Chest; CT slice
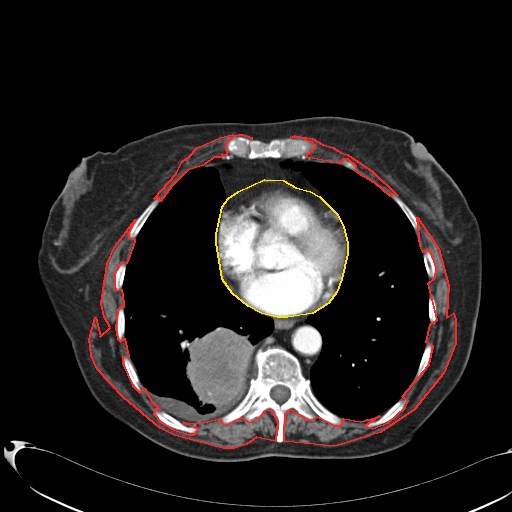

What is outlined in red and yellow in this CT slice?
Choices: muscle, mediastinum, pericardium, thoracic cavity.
red: muscle; yellow: pericardium.
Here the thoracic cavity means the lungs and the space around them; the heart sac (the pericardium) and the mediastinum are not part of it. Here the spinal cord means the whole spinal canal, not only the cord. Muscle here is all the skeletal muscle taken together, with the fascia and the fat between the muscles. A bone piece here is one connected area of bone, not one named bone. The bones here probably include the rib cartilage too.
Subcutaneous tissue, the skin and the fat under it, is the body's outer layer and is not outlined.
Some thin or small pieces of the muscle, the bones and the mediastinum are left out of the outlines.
{"muscle":[[[135,219],[128,232],[128,237],[134,239],[134,241],[127,261],[126,263],[121,262],[114,273],[114,287],[116,290],[121,289],[123,303],[123,307],[121,306],[117,310],[115,328],[117,338],[120,341],[124,338],[128,356],[122,357],[122,363],[132,385],[139,392],[144,388],[151,401],[159,409],[155,409],[153,413],[161,422],[173,429],[189,434],[194,434],[198,429],[183,422],[199,423],[219,418],[222,423],[227,424],[241,417],[249,422],[260,416],[265,410],[270,409],[277,420],[275,441],[256,437],[246,444],[234,448],[223,448],[174,435],[160,428],[123,397],[97,369],[91,355],[89,339],[95,317],[100,336],[110,327],[104,317],[101,303],[107,263],[114,247]],[[417,217],[438,248],[448,285],[446,317],[453,313],[455,319],[455,343],[443,373],[414,409],[380,432],[334,446],[284,441],[285,413],[290,409],[309,420],[317,416],[334,425],[341,425],[343,418],[360,421],[379,416],[365,425],[372,428],[388,422],[405,407],[408,401],[402,396],[429,364],[433,346],[426,342],[430,324],[437,319],[428,283],[435,277],[436,267],[431,253],[427,249],[423,252],[420,246]],[[232,134],[246,135],[252,138],[243,135],[238,135],[231,138],[225,144],[225,149],[227,152],[225,155],[222,154],[220,157],[214,157],[202,165],[187,170],[171,186],[160,201],[159,198],[154,198],[176,173],[182,161],[189,156],[197,147],[220,137]],[[294,135],[312,138],[322,144],[333,147],[340,152],[347,154],[372,171],[397,195],[392,194],[390,196],[375,183],[358,173],[356,171],[356,166],[348,159],[343,159],[340,163],[337,163],[307,157],[307,154],[315,147],[315,145],[303,138],[290,137]]],"pericardium":[[[264,179],[283,180],[295,187],[310,191],[319,196],[337,214],[343,227],[347,242],[347,253],[341,279],[336,292],[328,303],[312,313],[287,317],[277,317],[261,313],[248,306],[232,293],[222,279],[216,242],[216,234],[222,206],[228,198],[238,191]]],"torso":[[[325,115],[407,132],[425,146],[464,194],[480,228],[482,282],[473,344],[463,374],[410,442],[376,455],[346,459],[267,456],[220,462],[170,451],[113,417],[86,385],[38,273],[37,254],[49,209],[70,171],[96,151],[114,151],[183,124],[272,122]]],"mediastinum":[[[227,154],[247,159],[306,157],[320,160],[321,162],[304,163],[286,159],[281,161],[279,165],[282,168],[304,173],[318,189],[321,197],[283,179],[264,178],[238,190],[228,197],[224,203],[225,193],[219,172],[213,166],[203,165],[214,158],[220,158]],[[307,315],[309,315],[306,321],[319,332],[322,340],[320,353],[309,370],[309,378],[303,375],[303,370],[298,358],[287,349],[281,346],[267,346],[264,348],[259,347],[256,350],[256,344],[268,336],[273,330],[273,320],[272,319],[271,318],[270,317],[269,316],[267,316],[270,316],[271,317],[276,317],[277,318],[287,318]]],"spinal_cord":[[[277,385],[281,385],[282,386],[285,386],[287,388],[288,388],[289,390],[289,392],[290,393],[289,394],[289,396],[288,398],[282,403],[278,403],[275,400],[274,400],[271,397],[270,395],[270,391],[271,389],[273,387]]],"bones":[{"outer":[[267,347],[281,347],[297,358],[314,396],[342,418],[341,424],[331,423],[317,415],[309,419],[290,408],[284,413],[284,439],[278,442],[275,440],[278,420],[270,408],[249,421],[243,416],[227,423],[220,420],[246,395],[249,381],[256,375],[256,351]],"hole":[[277,385],[281,385],[282,386],[285,386],[287,388],[288,388],[289,390],[289,392],[290,393],[289,394],[289,396],[288,398],[282,403],[278,403],[275,400],[274,400],[271,397],[270,395],[270,391],[271,389],[273,387]]},[[238,136],[243,136],[249,139],[258,139],[265,142],[267,142],[272,139],[283,139],[288,137],[294,139],[303,139],[314,145],[314,147],[306,154],[306,156],[258,157],[257,158],[240,157],[228,153],[226,149],[226,144],[227,142],[231,139]],[[155,410],[161,410],[165,412],[167,414],[172,416],[174,418],[179,420],[185,425],[187,426],[191,426],[197,429],[194,433],[189,433],[188,432],[186,432],[182,430],[179,430],[178,429],[173,428],[161,421],[155,415],[154,413],[154,411]],[[400,399],[406,399],[407,401],[402,410],[398,414],[397,414],[394,417],[393,417],[388,421],[384,423],[382,423],[379,425],[377,425],[376,426],[373,426],[372,427],[367,427],[366,426],[366,425],[368,423],[376,420],[382,414],[383,414]],[[157,198],[159,199],[159,202],[148,216],[148,217],[142,225],[141,228],[139,230],[135,238],[130,238],[129,237],[129,232],[133,224],[135,222],[136,219],[140,215],[140,214],[142,213],[142,212],[146,208],[146,207],[154,199],[156,199]],[[125,356],[128,357],[130,359],[135,369],[135,371],[138,376],[138,378],[140,381],[140,383],[142,385],[141,391],[139,391],[136,389],[136,388],[133,385],[132,382],[130,380],[126,372],[126,370],[124,367],[124,364],[123,363],[123,357]],[[428,343],[430,343],[432,346],[432,350],[431,351],[431,354],[430,355],[430,358],[429,359],[428,364],[426,367],[426,369],[419,379],[416,381],[414,381],[414,378],[416,375],[416,373],[417,372],[417,370],[418,369],[424,349],[426,346],[426,344]],[[392,195],[395,195],[397,196],[400,199],[401,199],[404,202],[404,203],[411,210],[411,211],[416,217],[419,223],[419,228],[418,229],[416,230],[414,229],[412,224],[410,222],[409,219],[407,217],[405,213],[398,205],[398,204],[391,197]],[[427,250],[430,253],[432,257],[432,259],[434,263],[434,266],[435,267],[435,275],[433,278],[430,278],[428,277],[428,275],[426,271],[426,268],[425,267],[425,264],[424,263],[424,259],[423,258],[423,253]],[[121,307],[122,307],[123,308],[123,312],[124,313],[124,335],[123,336],[123,338],[121,340],[120,340],[118,338],[118,335],[117,334],[117,329],[116,328],[116,325],[117,324],[117,317],[118,316],[118,310],[119,309],[119,308],[120,308]],[[123,262],[126,264],[126,266],[125,267],[125,273],[124,274],[124,277],[123,278],[123,282],[122,283],[122,287],[120,289],[116,289],[116,288],[115,287],[115,273],[116,272],[116,270],[117,269],[117,268],[119,266],[119,265],[121,263],[122,263]],[[429,296],[433,296],[433,297],[434,298],[434,300],[435,301],[435,304],[436,305],[436,319],[435,320],[435,322],[434,323],[431,323],[430,322],[430,320],[429,319],[429,307],[428,306],[429,305]]],"thoracic_cavity":[[[199,166],[216,169],[224,193],[215,234],[221,282],[249,308],[269,317],[272,320],[272,330],[255,344],[255,375],[249,379],[243,398],[219,417],[207,421],[182,422],[160,409],[141,383],[124,337],[122,288],[127,262],[143,225],[172,186],[187,171]],[[286,160],[336,163],[365,177],[397,204],[415,232],[428,278],[430,323],[413,379],[401,397],[380,415],[360,420],[341,417],[324,406],[312,390],[310,370],[321,353],[323,340],[307,319],[325,307],[337,292],[348,242],[338,214],[304,172],[280,165]]]}